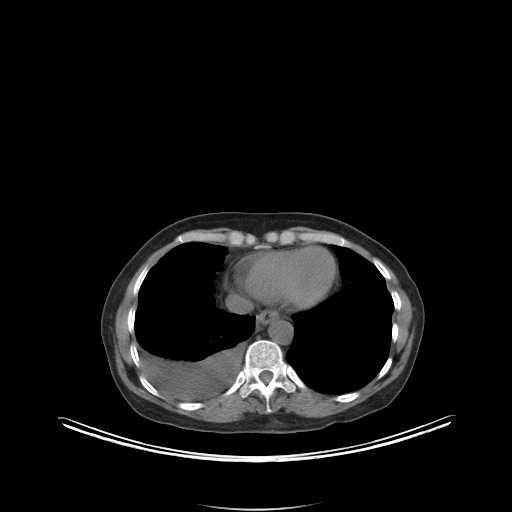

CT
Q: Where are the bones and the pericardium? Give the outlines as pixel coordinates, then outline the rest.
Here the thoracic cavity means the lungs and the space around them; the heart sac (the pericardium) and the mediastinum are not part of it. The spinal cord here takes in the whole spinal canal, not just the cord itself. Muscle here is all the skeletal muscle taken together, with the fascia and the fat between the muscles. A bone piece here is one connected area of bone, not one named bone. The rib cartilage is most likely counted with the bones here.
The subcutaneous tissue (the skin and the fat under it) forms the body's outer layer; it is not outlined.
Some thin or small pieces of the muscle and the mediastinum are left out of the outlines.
A: The bones appear in 12 outlined pieces: piece 1: 260 339; 276 343; 281 349; 285 361; 307 386; 306 389; 297 386; 293 392; 276 388; 269 398; 272 411; 270 413; 265 413; 265 398; 257 389; 254 389; 245 397; 240 395; 238 389; 227 396; 222 395; 232 385; 243 368; 248 345; inner edge: 263 371; 269 371; 270 372; 271 372; 272 373; 272 377; 270 379; 270 380; 267 383; 264 383; 260 379; 260 378; 259 377; 259 375; 260 374; 260 373; 261 372; 262 372; piece 2: 233 230; 254 235; 258 243; 265 243; 266 234; 272 231; 329 232; 345 238; 351 247; 299 240; 292 244; 268 243; 269 247; 256 249; 252 245; 235 246; 225 241; 221 243; 189 241; 171 247; 174 239; 185 232; 228 233; piece 3: 145 265; 148 265; 150 268; 147 272; 144 279; 142 281; 142 282; 140 285; 140 287; 139 288; 139 290; 138 291; 137 296; 134 296; 133 295; 133 287; 134 286; 134 284; 135 283; 135 282; 136 281; 140 272; 142 270; 142 269; piece 4: 354 391; 358 391; 360 394; 358 397; 357 397; 355 399; 354 399; 351 401; 349 401; 348 402; 340 402; 339 401; 336 401; 335 400; 332 399; 332 397; 335 395; 340 395; 341 394; 345 394; 346 393; 350 393; 351 392; 353 392; piece 5: 141 374; 142 374; 146 378; 146 379; 159 392; 159 393; 163 397; 162 398; 161 398; 160 397; 158 397; 157 396; 156 396; 155 395; 152 394; 150 392; 149 392; 142 385; 142 384; 140 382; 140 381; 138 378; 139 375; 140 375; piece 6: 132 306; 134 306; 136 308; 136 309; 135 310; 135 318; 134 319; 134 334; 131 334; 130 333; 130 332; 129 331; 129 330; 128 329; 128 326; 127 325; 127 315; 128 314; 128 311; 129 310; 129 309; piece 7: 178 402; 202 402; 203 403; 204 403; 204 406; 203 407; 201 407; 200 408; 198 408; 197 409; 195 409; 194 410; 186 410; 185 409; 182 409; 181 408; 180 408; 179 407; 178 407; 177 406; 177 404; 178 403; piece 8: 373 258; 376 258; 377 259; 378 259; 385 266; 385 267; 387 269; 387 270; 389 272; 389 273; 390 274; 390 276; 391 277; 391 278; 390 279; 389 279; 388 280; 385 279; 385 278; 381 274; 381 273; 378 270; 378 269; 371 261; piece 9: 132 343; 134 343; 136 345; 136 347; 137 348; 137 351; 138 352; 138 355; 139 356; 139 360; 140 361; 140 366; 139 367; 137 367; 135 365; 135 364; 131 357; 131 355; 130 354; 130 350; 129 349; 129 348; 130 347; 130 345; piece 10: 389 356; 392 357; 392 362; 391 363; 391 365; 390 366; 390 367; 388 369; 387 372; 381 378; 376 380; 375 379; 375 377; 377 375; 377 374; 379 372; 379 371; 382 368; 382 367; 384 365; 384 364; 385 363; 387 358; piece 11: 392 290; 395 290; 398 293; 398 294; 399 295; 399 297; 401 300; 401 306; 400 307; 400 309; 399 310; 396 310; 395 309; 394 309; 394 304; 393 303; 393 300; 392 299; 392 298; 391 297; 391 295; 390 294; 390 291; 391 291; piece 12: 393 322; 394 322; 395 323; 396 323; 397 324; 397 326; 398 327; 398 335; 397 336; 397 338; 396 339; 396 340; 395 341; 395 342; 394 342; 393 343; 392 342; 391 342; 391 339; 392 338; 392 323. The pericardium is outlined by 302 242; 316 243; 326 247; 331 251; 337 260; 339 270; 339 287; 329 297; 317 305; 307 310; 298 311; 291 315; 285 315; 266 309; 257 309; 245 297; 228 293; 224 289; 223 285; 226 269; 229 263; 236 257; 252 250; 285 248. The spinal cord is outlined by 263 371; 269 371; 270 372; 271 372; 272 373; 272 377; 270 379; 270 380; 267 383; 264 383; 260 379; 260 378; 259 377; 259 375; 260 374; 260 373; 261 372; 262 372. The muscle appears in 4 outlined pieces: piece 1: 170 242; 169 246; 171 248; 151 267; 148 264; 143 266; 132 287; 132 295; 137 297; 137 303; 136 307; 132 305; 128 309; 126 325; 129 333; 135 336; 137 343; 137 347; 132 342; 128 349; 134 365; 137 368; 141 366; 143 371; 143 374; 141 373; 137 377; 139 382; 152 395; 161 399; 165 397; 173 400; 177 402; 176 406; 178 408; 186 411; 203 408; 205 406; 203 402; 221 394; 223 397; 227 397; 238 390; 239 395; 245 398; 251 392; 257 390; 264 398; 264 413; 267 414; 252 413; 242 419; 230 422; 212 422; 196 419; 168 410; 135 394; 124 384; 119 376; 113 344; 117 309; 129 282; 137 270; 153 252; piece 2: 380 260; 392 270; 408 296; 412 306; 411 322; 416 322; 412 347; 403 370; 364 401; 334 414; 305 417; 271 413; 270 398; 278 388; 293 393; 297 387; 301 390; 308 387; 333 395; 331 399; 336 402; 348 403; 360 396; 359 389; 388 372; 393 362; 389 355; 390 346; 399 335; 398 324; 392 322; 392 315; 394 310; 401 309; 402 300; 395 289; 388 290; 386 280; 392 277; piece 3: 348 240; 354 243; 356 243; 360 245; 362 247; 366 249; 372 255; 376 257; 373 257; 370 261; 368 259; 367 259; 365 257; 364 257; 362 255; 361 255; 359 253; 358 253; 356 251; 352 249; 351 248; 352 247; 352 245; 351 243; piece 4: 268 231; 271 231; 269 231; 268 232; 267 232; 265 234; 265 235; 264 236; 264 240; 265 241; 265 242; 258 242; 258 240; 257 239; 257 238; 255 235; 256 235; 257 236; 260 236; 261 235; 262 235; 264 233; 265 233. The torso is outlined by 219 211; 301 211; 331 216; 365 232; 387 247; 403 263; 421 295; 425 321; 411 373; 402 390; 390 404; 353 421; 293 433; 216 433; 189 430; 152 421; 130 407; 111 376; 100 333; 101 312; 108 290; 126 262; 157 231; 188 216. The mediastinum appears in 2 outlined pieces: piece 1: 222 243; 255 249; 236 256; 228 263; 222 286; 228 294; 245 298; 257 310; 291 316; 293 338; 284 357; 280 346; 272 340; 260 338; 247 344; 255 328; 253 315; 228 312; 216 306; 215 272; 222 269; 227 253; 224 245; 216 244; piece 2: 317 243; 324 243; 325 244; 329 244; 330 245; 330 247; 333 250; 333 251; 335 253; 337 259; 336 258; 336 256; 332 252; 332 251; 331 250; 330 250; 326 246; 325 246; 324 245; 323 245; 320 243. The thoracic cavity appears in 2 outlined pieces: piece 1: 189 242; 205 242; 221 245; 226 248; 222 267; 214 272; 213 295; 215 306; 228 313; 254 317; 253 331; 245 341; 247 346; 242 368; 227 389; 219 395; 204 401; 176 401; 162 395; 144 375; 135 335; 138 294; 148 272; 169 250; piece 2: 331 245; 349 248; 371 262; 384 278; 393 304; 390 345; 388 356; 383 365; 372 379; 357 390; 334 395; 323 393; 309 387; 285 359; 286 353; 294 338; 295 323; 292 319; 292 315; 317 306; 338 292; 346 284; 341 277; 339 261.